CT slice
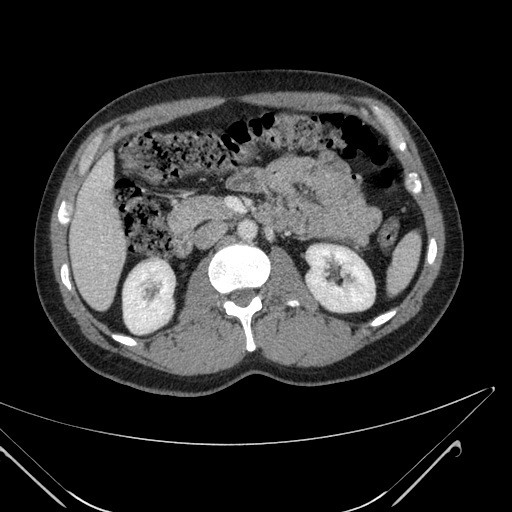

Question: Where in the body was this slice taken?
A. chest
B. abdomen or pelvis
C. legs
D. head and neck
Answer: B. abdomen or pelvis
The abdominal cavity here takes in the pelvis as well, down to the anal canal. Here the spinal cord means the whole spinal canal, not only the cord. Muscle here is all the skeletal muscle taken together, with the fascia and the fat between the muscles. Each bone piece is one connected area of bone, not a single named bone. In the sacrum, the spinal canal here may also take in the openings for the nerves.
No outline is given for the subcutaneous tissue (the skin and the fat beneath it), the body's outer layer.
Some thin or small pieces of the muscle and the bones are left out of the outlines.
The abdominal cavity is outlined by 134 338; 175 323; 199 261; 237 241; 267 254; 274 245; 285 249; 329 315; 359 323; 397 305; 419 275; 427 236; 386 137; 363 118; 339 110; 230 101; 131 133; 107 148; 76 193; 66 238; 68 262; 72 283; 90 312; 113 331. The spinal cord is outlined by 240 306; 245 306; 249 303; 249 302; 251 300; 251 299; 253 297; 254 297; 256 294; 256 291; 255 290; 255 289; 253 289; 252 288; 243 288; 242 289; 237 289; 236 290; 234 290; 229 295; 229 298; 236 304; 237 304. The torso is outlined by 176 397; 208 395; 251 374; 298 386; 359 378; 409 354; 439 321; 463 268; 460 214; 431 143; 391 95; 360 78; 319 70; 193 72; 150 82; 116 97; 68 141; 49 174; 35 221; 33 270; 41 306; 61 339; 91 370; 148 393. The muscle is outlined by 182 376; 183 375; 191 376; 199 374; 208 374; 230 368; 239 363; 251 352; 255 352; 271 361; 282 365; 294 365; 297 367; 322 367; 330 365; 335 362; 344 359; 364 346; 381 338; 398 328; 413 317; 421 309; 423 305; 424 296; 430 289; 438 275; 442 262; 442 257; 444 253; 444 245; 445 244; 444 223; 442 213; 439 206; 439 202; 421 161; 416 145; 405 125; 389 106; 382 101; 371 96; 366 95; 345 95; 344 94; 337 94; 322 91; 317 92; 277 91; 276 92; 258 92; 245 95; 228 96; 227 97; 222 97; 221 96; 191 97; 190 98; 184 98; 178 100; 161 102; 157 104; 145 106; 133 112; 116 116; 106 122; 100 124; 82 142; 77 149; 65 173; 59 188; 52 210; 50 219; 50 225; 49 226; 50 231; 49 238; 51 245; 52 266; 55 276; 55 280; 57 282; 62 301; 81 332; 91 342; 104 349; 109 350; 111 352; 117 353; 124 357; 129 358; 146 366; 149 366; 164 372 with holes at 248 351; 255 349; 251 320; 262 307; 263 285; 271 267; 267 255; 274 245; 291 256; 322 311; 353 323; 371 319; 373 327; 395 314; 395 306; 413 286; 424 259; 428 264; 434 262; 435 239; 427 238; 423 216; 411 194; 421 191; 421 181; 414 171; 404 178; 389 142; 403 152; 406 143; 393 120; 377 105; 370 106; 388 140; 363 118; 339 110; 226 102; 129 134; 92 165; 76 193; 71 219; 72 204; 62 200; 57 219; 63 225; 70 223; 68 261; 61 265; 61 281; 70 291; 74 285; 90 312; 113 331; 113 339; 134 346; 135 337; 152 336; 175 323; 191 272; 210 255; 209 280; 222 296; 225 312; 239 319 and at 81 175; 83 174; 86 171; 86 170; 90 165; 93 159; 93 156; 103 139; 103 137; 104 136; 101 132; 98 133; 98 134; 96 135; 93 138; 93 139; 88 144; 84 152; 80 157; 80 159; 78 163; 78 171; 79 172; 79 174 and at 289 306; 298 306; 299 305; 299 302; 296 299; 289 299; 288 300; 287 300; 285 302; 285 303; 286 304; 286 305; 288 305. The bones appear in 9 outlined pieces: piece 1: 248 351; 253 351; 255 349; 251 320; 254 313; 262 307; 263 285; 269 276; 271 267; 268 256; 259 247; 253 244; 237 242; 220 248; 212 256; 207 271; 211 284; 222 296; 221 303; 225 312; 239 319; 245 333; 246 349, around a hole outlined by 240 306; 245 306; 249 303; 249 302; 251 300; 251 299; 253 297; 254 297; 256 294; 256 291; 255 290; 255 289; 253 289; 252 288; 243 288; 242 289; 237 289; 236 290; 234 290; 229 295; 229 298; 236 304; 237 304; piece 2: 403 152; 406 150; 407 146; 401 132; 394 123; 393 120; 383 109; 380 108; 377 105; 375 105; 374 104; 371 105; 370 106; 374 115; 382 124; 382 125; 384 126; 388 134; 388 136; 391 143; 394 146; 394 147; 400 151; 402 151; piece 3: 81 175; 83 174; 86 171; 86 170; 90 165; 93 159; 93 156; 103 139; 103 137; 104 136; 101 132; 98 133; 98 134; 96 135; 93 138; 93 139; 88 144; 84 152; 80 157; 80 159; 78 163; 78 171; 79 172; 79 174; piece 4: 414 194; 419 193; 421 191; 421 190; 422 189; 422 184; 421 183; 421 181; 420 180; 417 173; 414 171; 412 171; 411 172; 409 172; 406 175; 406 178; 405 179; 405 184; 406 185; 406 187; 407 188; 407 189; 409 191; 410 191; piece 5: 63 225; 66 224; 69 221; 69 220; 70 219; 70 215; 71 214; 71 211; 72 210; 72 204; 71 203; 68 202; 65 199; 63 199; 62 200; 62 201; 59 206; 58 211; 57 212; 57 219; 58 220; 59 223; 60 223; piece 6: 373 327; 376 327; 377 326; 379 326; 383 323; 386 322; 389 319; 390 319; 395 314; 395 313; 396 312; 396 307; 394 307; 393 308; 392 308; 391 309; 390 309; 389 310; 378 315; 376 317; 375 317; 370 322; 370 325; piece 7: 428 264; 432 264; 434 262; 434 260; 436 257; 436 254; 437 253; 437 245; 436 244; 436 242; 435 241; 435 239; 434 238; 434 237; 430 237; 428 239; 428 244; 427 245; 427 252; 426 253; 426 261; piece 8: 70 291; 72 289; 72 284; 71 283; 71 278; 70 277; 70 275; 69 274; 69 266; 68 265; 68 263; 67 262; 64 262; 61 265; 61 268; 60 269; 60 275; 61 276; 61 281; 62 282; 62 283; 67 288; 67 289; piece 9: 128 346; 134 346; 137 344; 136 341; 133 338; 132 338; 127 335; 125 335; 124 334; 122 334; 121 333; 116 333; 115 332; 112 332; 111 333; 111 337; 113 339; 114 339; 116 341; 117 341; 122 344; 124 344; 125 345; 127 345.